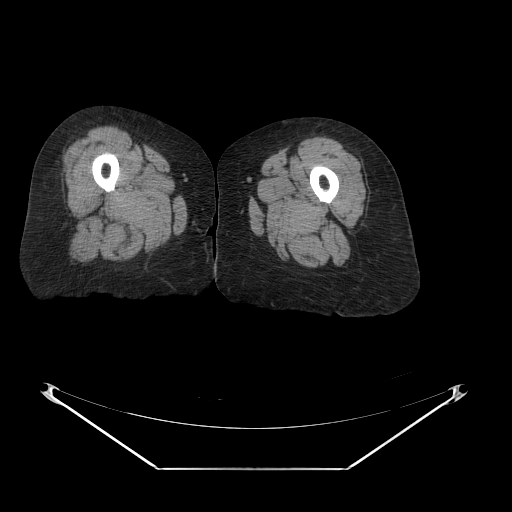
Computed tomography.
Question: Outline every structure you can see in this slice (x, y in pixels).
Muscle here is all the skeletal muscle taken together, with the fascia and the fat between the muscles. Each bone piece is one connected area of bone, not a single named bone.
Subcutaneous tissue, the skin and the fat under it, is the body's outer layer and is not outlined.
Answer: The right leg is outlined by [[96,104],[123,106],[154,116],[189,135],[208,156],[215,174],[216,212],[209,231],[214,234],[214,282],[201,295],[128,300],[92,293],[86,298],[55,297],[42,302],[27,289],[19,270],[18,253],[35,158],[45,139],[63,119],[81,108]]. The left leg is outlined by [[300,116],[328,117],[356,127],[382,149],[396,171],[420,271],[419,292],[409,305],[396,313],[344,318],[335,313],[326,317],[295,310],[274,311],[246,303],[232,303],[217,288],[214,249],[218,195],[216,170],[219,157],[231,143],[249,132],[277,120]]. The bones appear in 2 outlined pieces: piece 1: [[317,164],[320,164],[330,168],[335,172],[338,177],[338,179],[339,180],[339,188],[338,189],[337,194],[330,203],[326,203],[325,202],[322,202],[320,201],[311,188],[311,186],[309,182],[309,173],[311,168],[314,165],[316,165]]; piece 2: [[103,152],[110,152],[111,153],[115,154],[117,157],[117,159],[119,163],[119,175],[118,176],[118,179],[116,182],[115,187],[112,191],[109,191],[108,192],[105,191],[102,188],[101,188],[95,182],[92,175],[92,172],[91,171],[92,160],[94,157]]. The muscle appears in 2 outlined pieces: piece 1: [[107,124],[113,124],[126,130],[132,137],[149,145],[164,156],[182,185],[188,214],[185,234],[174,250],[165,259],[157,263],[111,268],[99,268],[79,264],[73,267],[70,264],[67,252],[69,217],[61,186],[61,155],[64,142],[92,127]], around a hole outlined by [[103,152],[110,152],[111,153],[115,154],[117,157],[117,159],[119,163],[119,175],[118,176],[118,179],[116,182],[115,187],[112,191],[109,191],[108,192],[105,191],[102,188],[101,188],[95,182],[92,175],[92,172],[91,171],[92,160],[94,157]]; piece 2: [[321,135],[341,141],[359,153],[367,176],[370,198],[365,212],[363,225],[356,238],[360,266],[356,270],[337,274],[304,276],[285,271],[266,261],[255,245],[248,223],[247,204],[249,191],[258,179],[261,164],[267,157],[279,149],[302,138]], around a hole outlined by [[317,164],[320,164],[330,168],[335,172],[338,177],[338,179],[339,180],[339,188],[338,189],[337,194],[330,203],[326,203],[325,202],[322,202],[320,201],[311,188],[311,186],[309,182],[309,173],[311,168],[314,165],[316,165]].